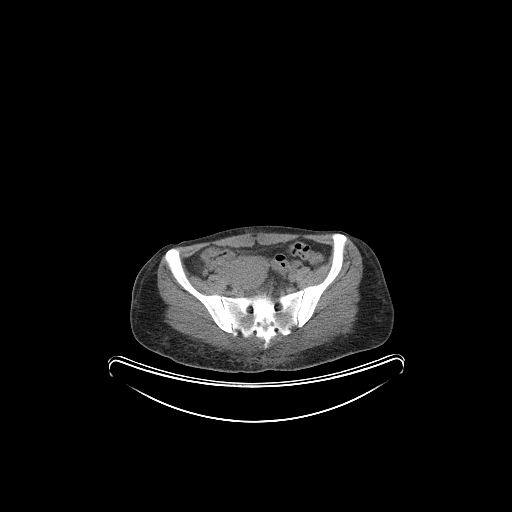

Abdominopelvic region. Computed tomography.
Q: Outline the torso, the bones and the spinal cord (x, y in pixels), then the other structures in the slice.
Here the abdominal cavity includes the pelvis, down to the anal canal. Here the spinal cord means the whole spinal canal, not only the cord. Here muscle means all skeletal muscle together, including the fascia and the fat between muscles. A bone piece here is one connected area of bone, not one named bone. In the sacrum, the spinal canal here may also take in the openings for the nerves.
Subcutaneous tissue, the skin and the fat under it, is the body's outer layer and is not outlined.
A: Outlines:
torso: 264,224 285,225 314,230 342,230 360,238 371,247 381,265 394,306 393,329 389,338 383,344 373,349 305,369 231,373 179,364 150,351 134,338 129,323 133,283 140,268 156,251 169,243 193,239 230,228
bones: 333,233 347,237 338,274 321,294 311,317 289,334 272,337 267,348 254,334 234,336 221,329 205,306 177,282 164,259 169,249 177,248 188,280 206,295 239,297 264,292 277,298 325,278 332,262
spinal cord 1: 276,303 277,303 278,303 279,304 279,305 279,306 279,307 279,308 279,309 278,310 277,310 276,310 275,309 275,308 275,307 275,306 275,305 275,304
spinal cord 2: 249,306 250,306 251,306 252,307 252,308 252,309 252,310 252,311 251,312 250,312 249,312 248,311 248,310 248,309 248,308 248,307
spinal cord 3: 264,323 265,323 266,324 266,325 266,326 266,327 266,328 265,329 264,329 263,328 263,327 263,326 263,325 263,324
spinal cord 4: 259,322 260,322 261,323 261,324 260,325 259,325 258,324 258,323
spinal cord 5: 271,322 272,322 273,323 273,324 272,325 271,325 270,324 270,323
abdominal cavity: 298,238 329,246 329,254 326,261 315,268 304,265 291,270 287,278 299,289 277,297 264,291 231,296 227,288 229,278 217,273 202,278 192,273 186,266 185,258 188,259 210,244 251,248 255,245 286,243
muscle 1: 348,238 359,250 363,265 359,309 350,333 301,352 241,353 196,343 164,321 165,304 156,273 163,255 176,282 204,306 221,330 234,337 239,333 244,338 254,335 267,349 272,338 289,335 312,317 342,268
muscle 2: 247,232 331,234 332,246 329,269 320,282 302,288 294,281 289,280 288,276 294,269 309,266 312,270 324,264 328,259 331,247 327,244 307,238 298,237 286,242 269,245 255,244 251,247 210,243 188,258 185,257 185,266 192,274 202,279 211,274 226,277 229,279 226,288 230,296 201,292 189,280 183,266 180,250 176,247 213,241